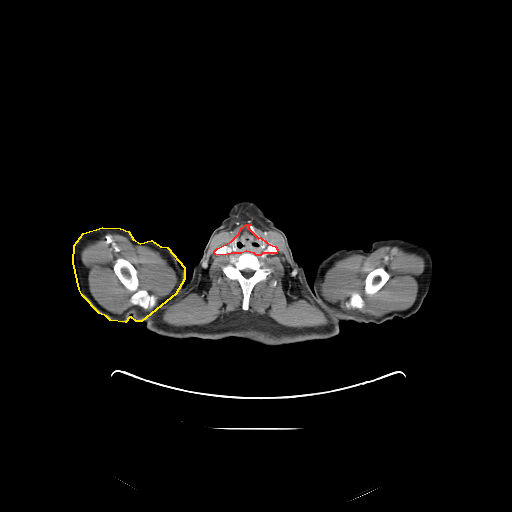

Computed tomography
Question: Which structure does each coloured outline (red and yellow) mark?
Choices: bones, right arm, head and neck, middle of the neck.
Answer: red: middle of the neck; yellow: right arm.
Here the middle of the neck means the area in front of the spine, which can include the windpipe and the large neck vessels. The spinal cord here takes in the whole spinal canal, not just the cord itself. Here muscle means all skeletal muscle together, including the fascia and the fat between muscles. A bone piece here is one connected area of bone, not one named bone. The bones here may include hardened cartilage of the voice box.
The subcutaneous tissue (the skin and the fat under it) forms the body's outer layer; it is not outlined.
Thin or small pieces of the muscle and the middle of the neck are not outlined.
middle of the neck: 246 224; 251 224; 248 225; 248 228; 258 238; 260 237; 267 243; 275 246; 277 249; 276 253; 262 253; 260 255; 256 255; 254 253; 246 251; 241 253; 231 253; 225 255; 215 254; 214 251; 217 248; 231 241; 239 233; 241 228
right arm: 102 227; 120 228; 128 231; 133 239; 140 243; 151 240; 160 246; 167 247; 184 267; 184 279; 175 294; 141 321; 136 321; 131 317; 129 317; 125 322; 110 320; 106 316; 99 313; 82 295; 79 289; 73 262; 74 245; 83 233
spinal cord: 247 268; 248 269; 250 269; 251 270; 252 270; 253 271; 253 273; 249 277; 246 277; 245 276; 244 276; 243 275; 243 274; 241 272; 241 271; 242 270; 243 270; 244 269; 246 269
head and neck: 241 198; 245 198; 255 202; 267 217; 285 234; 288 240; 293 258; 302 266; 309 287; 297 298; 273 313; 253 320; 235 322; 224 318; 205 302; 197 294; 189 280; 192 275; 195 264; 202 257; 204 247; 211 233; 224 219; 230 207
left arm: 391 238; 400 238; 417 242; 427 248; 432 258; 433 275; 430 287; 421 306; 414 314; 405 319; 396 316; 381 324; 371 322; 359 323; 353 320; 345 321; 318 299; 312 288; 316 269; 323 259; 340 249; 362 249; 368 251; 373 242
torso: 188 281; 196 294; 205 303; 224 319; 231 322; 248 322; 273 314; 297 299; 310 287; 319 301; 344 320; 339 324; 339 333; 333 337; 277 346; 264 345; 236 336; 221 339; 166 337; 148 330; 146 324; 142 321; 172 298; 183 283
bones 1: 246 252; 253 254; 263 266; 265 268; 269 268; 271 272; 266 277; 265 280; 260 281; 254 285; 249 296; 248 309; 243 310; 242 309; 243 299; 242 288; 237 280; 230 279; 227 277; 223 273; 222 268; 227 264; 231 264; 239 255, around a hole outlined by 247 268; 248 269; 250 269; 251 270; 252 270; 253 271; 253 273; 249 277; 246 277; 245 276; 244 276; 243 275; 243 274; 241 272; 241 271; 242 270; 243 270; 244 269; 246 269
bones 2: 117 258; 126 259; 136 269; 139 281; 138 287; 140 289; 144 289; 149 294; 153 294; 157 296; 158 298; 157 303; 153 308; 146 310; 138 305; 133 305; 130 302; 129 300; 132 292; 128 290; 123 285; 114 272; 113 269; 113 265
bones 3: 378 267; 382 267; 383 268; 384 268; 389 274; 389 278; 387 280; 387 281; 375 293; 374 293; 373 294; 371 294; 370 295; 367 295; 364 292; 364 280; 365 279; 366 276; 368 274; 368 273; 369 272; 370 272; 372 270; 373 270
bones 4: 352 292; 357 292; 359 294; 360 294; 360 295; 362 297; 363 299; 363 301; 364 302; 364 305; 362 308; 360 308; 359 309; 358 308; 354 308; 353 309; 348 309; 345 307; 344 302; 347 301; 349 299; 349 298; 351 296; 351 294
bones 5: 249 225; 252 225; 254 227; 254 228; 255 229; 255 231; 256 232; 256 233; 258 235; 258 236; 259 237; 258 237; 254 233; 253 233; 251 231; 251 230; 249 228
muscle 1: 245 207; 282 236; 327 324; 290 327; 237 310; 201 325; 171 325; 147 310; 159 298; 139 287; 137 269; 123 257; 112 269; 134 306; 113 313; 92 295; 80 254; 87 243; 115 233; 157 251; 175 272; 174 299; 197 282; 211 240; inner edge: 246 224; 251 224; 263 240; 277 249; 274 254; 262 253; 255 256; 271 272; 265 280; 254 285; 249 296; 248 309; 243 310; 243 292; 239 282; 227 277; 222 270; 225 265; 231 264; 241 254; 220 255; 215 254; 214 251; 231 241
muscle 2: 383 246; 396 246; 410 253; 417 254; 424 259; 425 265; 422 272; 417 295; 410 307; 404 310; 394 310; 379 317; 375 317; 361 312; 344 311; 337 305; 334 305; 327 301; 322 296; 321 288; 325 274; 337 260; 353 254; 367 256 with holes at 378 267; 382 267; 383 268; 384 268; 389 274; 389 278; 387 280; 387 281; 375 293; 374 293; 373 294; 371 294; 370 295; 367 295; 364 292; 364 280; 365 279; 366 276; 368 274; 368 273; 369 272; 370 272; 372 270; 373 270 and at 352 292; 357 292; 359 294; 360 294; 360 295; 362 297; 363 299; 363 301; 364 302; 364 305; 362 308; 360 308; 359 309; 358 308; 354 308; 353 309; 348 309; 345 307; 344 302; 347 301; 349 299; 349 298; 351 296; 351 294